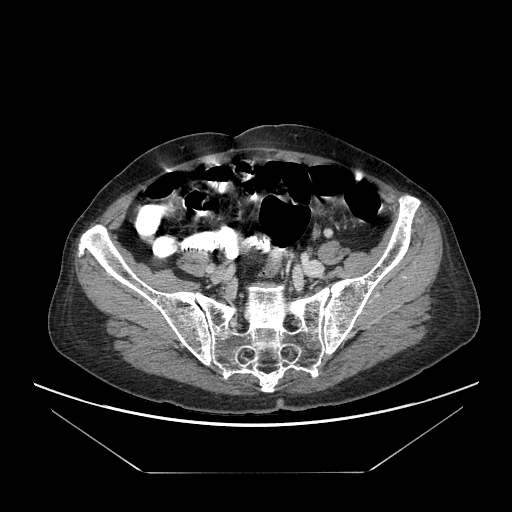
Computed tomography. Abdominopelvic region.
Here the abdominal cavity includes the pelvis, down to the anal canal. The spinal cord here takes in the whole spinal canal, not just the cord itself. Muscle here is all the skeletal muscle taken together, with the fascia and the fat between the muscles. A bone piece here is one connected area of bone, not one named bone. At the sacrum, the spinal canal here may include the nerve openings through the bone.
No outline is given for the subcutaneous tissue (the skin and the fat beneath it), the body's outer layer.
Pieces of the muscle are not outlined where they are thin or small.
{"spinal_cord":[[[264,365],[274,365],[275,366],[276,366],[276,368],[275,369],[273,369],[272,370],[271,370],[270,371],[268,371],[267,372],[266,372],[265,371],[264,371],[263,370],[262,370],[261,369],[260,369],[259,368],[259,367],[260,367],[261,366],[263,366]],[[292,320],[297,320],[298,321],[298,325],[297,326],[296,326],[295,327],[291,327],[289,325],[289,322],[290,321],[291,321]],[[289,346],[291,346],[292,347],[292,348],[293,349],[293,353],[292,354],[286,354],[285,353],[285,349],[286,348],[287,348]],[[237,322],[238,322],[239,322],[240,322],[241,322],[242,322],[243,323],[244,324],[244,325],[244,326],[244,327],[243,328],[242,329],[241,329],[240,329],[239,329],[238,329],[237,329],[236,328],[236,327],[236,326],[236,325],[236,324],[236,323]],[[244,350],[245,350],[246,350],[247,350],[248,351],[249,351],[250,352],[251,353],[251,354],[251,355],[251,356],[250,357],[249,358],[248,358],[247,358],[246,358],[245,357],[244,356],[243,355],[243,354],[243,353],[243,352],[243,351]]],"abdominal_cavity":[{"outer":[[244,154],[338,165],[362,174],[389,200],[391,221],[368,251],[350,249],[335,239],[324,242],[317,253],[332,267],[326,277],[328,285],[309,295],[288,300],[283,283],[249,284],[242,305],[217,300],[197,281],[136,260],[117,231],[132,201],[154,179]],"hole":[[194,249],[200,249],[206,252],[208,255],[208,263],[205,269],[205,272],[204,273],[204,275],[202,275],[201,276],[194,276],[193,275],[191,275],[189,274],[184,269],[178,266],[177,264],[177,261],[178,259],[185,252],[189,251],[190,250],[193,250]]}],"bones":[{"outer":[[402,195],[421,202],[407,251],[336,350],[322,357],[318,375],[289,368],[273,392],[261,391],[250,373],[224,379],[181,344],[146,298],[86,250],[77,256],[81,235],[99,223],[156,290],[242,306],[247,286],[283,284],[290,301],[366,273],[389,241]],"holes":[[[264,365],[274,365],[275,366],[276,366],[276,368],[275,369],[273,369],[272,370],[271,370],[270,371],[268,371],[267,372],[266,372],[265,371],[264,371],[263,370],[262,370],[261,369],[260,369],[259,368],[259,367],[260,367],[261,366],[263,366]],[[292,320],[297,320],[298,321],[298,325],[297,326],[296,326],[295,327],[291,327],[289,325],[289,322],[290,321],[291,321]],[[289,346],[291,346],[292,347],[292,348],[293,349],[293,353],[292,354],[286,354],[285,353],[285,349],[286,348],[287,348]],[[244,350],[245,350],[246,350],[247,350],[248,351],[249,351],[250,352],[251,353],[251,354],[251,355],[251,356],[250,357],[249,358],[248,358],[247,358],[246,358],[245,357],[244,356],[243,355],[243,354],[243,353],[243,352],[243,351]],[[237,322],[238,322],[239,322],[240,322],[241,322],[242,322],[243,323],[244,324],[244,325],[244,326],[244,327],[243,328],[242,329],[241,329],[240,329],[239,329],[238,329],[237,329],[236,328],[236,327],[236,326],[236,325],[236,324],[236,323]]]}],"muscle":[[[421,200],[437,220],[443,241],[442,259],[431,289],[432,311],[425,337],[419,343],[324,390],[305,394],[275,391],[279,380],[289,369],[305,372],[313,379],[319,375],[323,357],[337,350],[353,327],[375,287],[408,251],[413,232],[413,221],[422,203]],[[79,238],[76,256],[80,258],[86,251],[108,275],[146,299],[159,311],[180,344],[203,365],[217,367],[224,380],[235,374],[250,374],[257,378],[262,392],[246,396],[215,393],[147,373],[122,359],[110,341],[103,316],[88,299],[76,276],[74,258]],[[242,148],[275,148],[323,157],[376,177],[392,187],[418,198],[407,194],[402,194],[397,198],[397,216],[388,241],[377,260],[366,272],[352,277],[340,278],[329,285],[327,277],[333,267],[325,263],[319,256],[319,248],[324,243],[335,240],[350,250],[368,252],[379,242],[384,231],[392,221],[393,210],[390,200],[384,191],[367,176],[338,164],[326,162],[302,163],[272,158],[257,153],[244,153],[215,164],[165,172],[148,182],[131,201],[116,231],[117,237],[131,252],[136,261],[144,263],[154,271],[170,269],[181,279],[199,283],[207,295],[197,290],[159,290],[142,279],[128,264],[113,242],[104,224],[98,222],[83,231],[112,202],[154,175],[186,161],[217,152]],[[194,249],[200,249],[206,252],[208,255],[208,263],[205,269],[205,272],[204,273],[204,275],[202,275],[201,276],[194,276],[193,275],[191,275],[189,274],[184,269],[178,266],[177,264],[177,261],[178,259],[185,252],[189,251],[190,250],[193,250]]],"torso":[[[282,123],[332,133],[387,161],[435,197],[453,226],[476,288],[481,317],[475,336],[380,393],[337,406],[270,414],[212,414],[151,402],[102,382],[60,355],[47,330],[49,303],[67,234],[96,193],[137,156],[172,138],[208,131],[234,136],[257,125]]]}